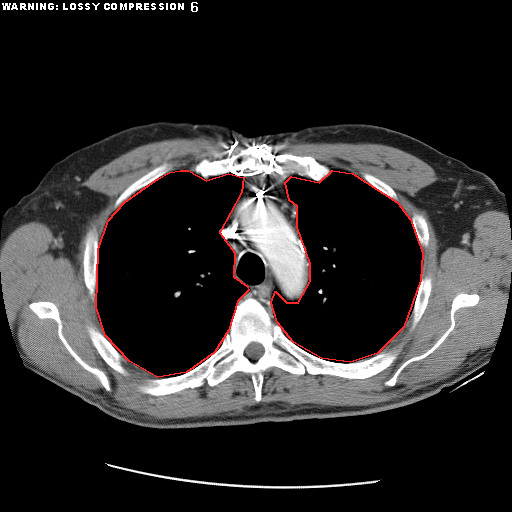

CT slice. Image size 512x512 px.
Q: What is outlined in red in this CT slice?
A: red: thoracic cavity.
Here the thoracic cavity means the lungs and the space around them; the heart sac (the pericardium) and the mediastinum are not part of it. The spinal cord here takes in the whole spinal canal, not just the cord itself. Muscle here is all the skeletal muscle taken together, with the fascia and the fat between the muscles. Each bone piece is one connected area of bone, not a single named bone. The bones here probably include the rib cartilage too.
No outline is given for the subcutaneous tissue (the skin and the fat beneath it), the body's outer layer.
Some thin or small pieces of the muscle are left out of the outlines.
The thoracic cavity appears in 2 outlined pieces: piece 1: 180 170; 188 170; 206 180; 228 173; 243 177; 241 192; 219 232; 234 252; 233 276; 247 286; 248 290; 237 301; 228 330; 214 352; 186 372; 157 377; 129 361; 105 335; 96 307; 98 249; 108 220; 124 202; 158 178; 169 172; piece 2: 332 170; 352 173; 397 202; 410 219; 422 253; 420 280; 403 327; 377 353; 350 362; 321 358; 293 342; 277 322; 271 302; 275 291; 286 302; 298 302; 310 281; 310 263; 297 227; 297 206; 289 200; 285 182; 291 176; 319 182. The spinal cord is outlined by 252 342; 256 342; 257 343; 259 343; 263 347; 263 349; 264 350; 262 355; 260 357; 259 357; 257 359; 256 359; 255 360; 249 358; 247 356; 246 356; 246 355; 245 354; 245 349; 247 347; 247 346; 250 343; 251 343. The muscle is outlined by 202 135; 212 137; 220 135; 224 139; 268 143; 284 140; 379 143; 412 154; 431 166; 439 178; 409 197; 427 212; 438 240; 439 253; 448 247; 467 247; 474 236; 473 222; 480 213; 498 210; 508 214; 511 229; 511 281; 505 315; 496 343; 479 352; 453 374; 386 401; 367 405; 322 406; 305 403; 289 409; 280 403; 270 402; 258 403; 246 411; 233 415; 223 412; 217 415; 181 418; 156 418; 131 410; 123 411; 128 409; 108 405; 20 356; 7 319; 0 278; 0 249; 8 235; 24 223; 31 221; 44 223; 57 239; 56 244; 60 253; 73 261; 88 220; 106 204; 106 197; 81 185; 83 181; 99 167; 140 145; inner edges: 264 143; 331 170; 369 173; 393 189; 410 219; 423 215; 429 239; 421 275; 431 277; 426 307; 413 329; 409 317; 384 348; 400 349; 396 359; 366 378; 271 366; 259 402; 242 371; 213 386; 205 380; 169 394; 143 393; 138 385; 157 377; 127 359; 127 374; 116 371; 88 334; 88 324; 105 333; 84 281; 86 233; 94 226; 99 240; 116 199; 164 162; 173 165; 170 172; 189 170, then 36 301; 49 301; 55 304; 58 309; 62 323; 62 333; 67 342; 72 349; 87 364; 100 369; 106 374; 111 388; 110 391; 107 391; 100 381; 91 372; 85 369; 70 354; 58 336; 57 322; 52 318; 39 318; 31 310; 29 304, then 461 292; 469 294; 476 293; 479 296; 478 302; 473 306; 457 309; 454 313; 454 327; 445 339; 431 353; 409 363; 400 372; 393 386; 385 385; 385 381; 388 380; 405 361; 423 354; 449 327; 451 323; 450 311; 452 301; 454 297. The mediastinum is outlined by 260 173; 275 174; 286 179; 284 191; 288 200; 296 206; 296 227; 309 263; 309 281; 301 299; 289 302; 278 290; 272 294; 271 308; 277 323; 257 299; 251 296; 241 298; 249 288; 234 276; 235 252; 220 232; 242 192; 243 176. The torso is outlined by 154 121; 217 123; 247 136; 313 125; 373 124; 417 138; 488 175; 504 194; 511 229; 510 289; 489 361; 438 393; 393 409; 343 417; 195 428; 150 428; 116 419; 26 368; 7 319; 0 278; 4 212; 71 152; 119 130. The bones appear in 10 outlined pieces: piece 1: 248 297; 265 308; 293 343; 321 359; 350 363; 384 349; 400 350; 389 366; 366 378; 299 375; 271 366; 263 372; 259 402; 251 375; 242 371; 213 386; 205 380; 169 394; 143 393; 137 387; 145 379; 181 375; 214 353; 238 301, around a hole outlined by 252 342; 256 342; 257 343; 259 343; 263 347; 263 349; 264 350; 262 355; 260 357; 259 357; 257 359; 256 359; 255 360; 249 358; 247 356; 246 356; 246 355; 245 354; 245 349; 247 347; 247 346; 250 343; 251 343; piece 2: 264 143; 273 147; 278 146; 280 153; 311 156; 327 166; 331 170; 330 175; 319 181; 298 175; 291 175; 284 179; 278 174; 263 172; 251 175; 236 175; 228 172; 206 179; 189 170; 203 159; 220 160; 232 151; 238 152; 250 145; piece 3: 36 301; 49 301; 55 304; 58 309; 62 323; 62 333; 67 342; 72 349; 87 364; 100 369; 106 374; 111 388; 110 391; 107 391; 100 381; 91 372; 85 369; 70 354; 58 336; 57 322; 52 318; 39 318; 31 310; 29 304; piece 4: 461 292; 469 294; 476 293; 479 296; 478 302; 473 306; 457 309; 454 313; 454 327; 445 339; 431 353; 409 363; 400 372; 393 386; 385 385; 385 381; 388 380; 405 361; 423 354; 449 327; 451 323; 450 311; 452 301; 454 297; piece 5: 93 226; 96 229; 99 240; 98 242; 98 248; 97 249; 97 282; 96 283; 96 289; 95 290; 95 302; 93 302; 90 297; 88 289; 86 287; 84 281; 84 276; 83 275; 83 250; 84 249; 84 240; 86 236; 86 233; piece 6: 88 324; 92 324; 95 326; 96 328; 107 338; 117 351; 126 359; 126 362; 123 363; 123 366; 127 371; 127 374; 126 375; 123 375; 113 369; 106 363; 99 354; 96 348; 93 345; 91 339; 88 334; 87 328; 86 327; piece 7: 164 162; 171 163; 173 165; 173 167; 171 170; 165 173; 163 175; 158 177; 147 185; 136 191; 125 201; 124 201; 117 209; 113 211; 113 207; 114 206; 116 199; 130 184; 131 184; 141 176; 144 175; 152 169; 162 164; piece 8: 424 275; 429 275; 431 277; 431 291; 427 301; 426 307; 421 317; 419 319; 415 327; 411 330; 410 328; 411 327; 410 315; 412 312; 412 310; 414 306; 414 303; 416 299; 416 296; 417 295; 419 284; 421 280; 421 277; piece 9: 415 212; 423 215; 423 216; 426 219; 426 221; 427 222; 427 229; 428 230; 429 239; 428 240; 428 245; 424 248; 422 248; 421 247; 414 233; 414 230; 413 229; 413 226; 412 225; 412 222; 411 221; 411 217; 412 215; piece 10: 362 173; 369 173; 375 176; 377 178; 380 179; 382 181; 383 181; 385 183; 389 185; 395 192; 398 198; 398 202; 390 198; 385 194; 382 193; 379 190; 378 190; 375 187; 374 187; 371 184; 370 184; 366 180; 365 180; 362 177.